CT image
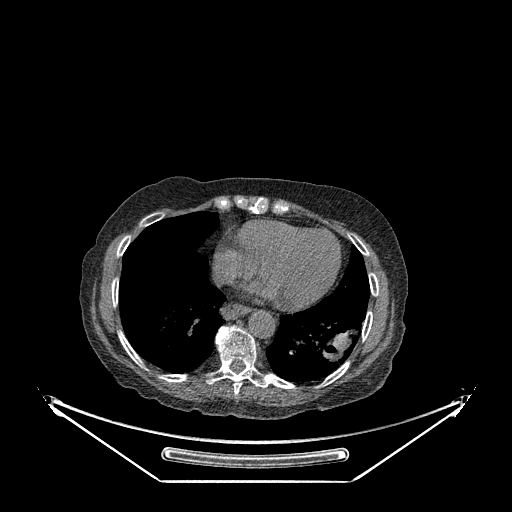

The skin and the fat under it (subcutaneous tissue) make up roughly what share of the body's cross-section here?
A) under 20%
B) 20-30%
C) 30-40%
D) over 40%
Answer: B) 20-30%
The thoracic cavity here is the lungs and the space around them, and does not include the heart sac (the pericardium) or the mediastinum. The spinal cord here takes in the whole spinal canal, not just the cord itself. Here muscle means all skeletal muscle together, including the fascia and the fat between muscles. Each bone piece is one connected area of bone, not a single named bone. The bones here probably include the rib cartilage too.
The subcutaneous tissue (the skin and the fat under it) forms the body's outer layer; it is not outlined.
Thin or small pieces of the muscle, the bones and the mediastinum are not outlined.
Outlined structures:
torso: [[170,176],[187,176],[200,181],[227,177],[306,181],[351,190],[374,204],[395,232],[408,276],[403,316],[405,331],[383,386],[365,398],[337,407],[311,410],[284,419],[259,420],[174,409],[118,384],[86,337],[79,303],[81,264],[104,222],[129,195]]
spinal cord: [[234,360],[239,360],[240,361],[241,361],[244,364],[244,368],[242,370],[241,370],[239,372],[235,372],[233,370],[232,370],[231,369],[231,368],[230,367],[230,365],[231,364],[231,363]]
pericardium: [[254,215],[307,219],[325,226],[335,233],[343,243],[345,249],[345,261],[343,268],[341,270],[341,275],[333,289],[313,305],[291,313],[274,313],[266,309],[242,303],[222,292],[212,279],[212,254],[214,248],[218,240],[230,226],[237,223],[243,218]]
muscle 1: [[138,220],[137,227],[141,230],[139,233],[134,238],[131,233],[125,233],[117,244],[115,256],[117,259],[121,258],[121,267],[120,274],[111,279],[110,297],[112,307],[118,308],[119,311],[122,328],[117,328],[115,333],[120,345],[142,370],[148,373],[151,371],[146,362],[159,369],[162,372],[154,375],[159,380],[169,383],[186,382],[190,373],[207,366],[216,357],[217,365],[203,374],[204,381],[212,385],[223,379],[229,379],[232,382],[233,395],[236,397],[244,380],[263,389],[272,385],[294,390],[297,385],[313,385],[314,389],[321,389],[340,378],[352,363],[349,357],[359,339],[361,343],[364,343],[370,333],[374,314],[368,307],[368,303],[370,296],[375,298],[380,291],[377,275],[372,270],[367,271],[366,269],[364,257],[369,257],[371,254],[359,236],[375,252],[388,279],[389,293],[394,298],[395,324],[391,342],[364,372],[306,403],[290,406],[264,406],[233,400],[197,402],[165,393],[118,362],[107,351],[94,331],[91,318],[93,285],[96,278],[97,285],[99,285],[107,247],[119,233]]
muscle 2: [[267,197],[270,198],[281,198],[296,203],[316,213],[321,214],[326,217],[332,219],[338,220],[344,223],[345,226],[348,229],[353,231],[347,230],[345,232],[345,236],[344,236],[335,229],[326,225],[328,222],[326,219],[320,217],[317,217],[316,218],[318,219],[318,220],[315,219],[313,218],[314,216],[308,212],[306,215],[294,215],[293,214],[287,213],[291,210],[291,207],[286,201],[283,199],[271,200]]
muscle 3: [[226,194],[234,195],[231,197],[225,195],[220,195],[216,197],[213,201],[213,206],[216,208],[210,208],[209,209],[203,209],[202,210],[195,210],[194,211],[191,211],[190,212],[187,212],[186,213],[183,213],[174,216],[170,216],[169,217],[166,217],[166,212],[164,210],[159,209],[165,207],[173,208],[174,209],[179,209],[180,208],[194,206],[213,197],[219,195],[225,195]]
bones 1: [[222,325],[236,325],[249,332],[255,340],[258,358],[265,369],[294,383],[296,388],[282,388],[272,384],[263,388],[244,379],[236,396],[233,392],[233,382],[229,378],[223,378],[208,384],[205,381],[204,374],[218,365],[218,353],[214,340],[217,330]] with a hole at [[234,360],[239,360],[240,361],[241,361],[244,364],[244,368],[242,370],[241,370],[239,372],[235,372],[233,370],[232,370],[231,369],[231,368],[230,367],[230,365],[231,364],[231,363]]
bones 2: [[235,195],[242,195],[246,197],[264,196],[271,201],[283,200],[289,205],[290,210],[288,212],[282,214],[276,214],[270,211],[258,214],[238,207],[232,207],[227,210],[219,209],[214,206],[214,201],[216,198],[220,196],[225,196],[231,198]]
bones 3: [[119,328],[121,328],[122,329],[126,338],[128,340],[131,346],[139,355],[139,356],[145,362],[146,365],[150,369],[150,371],[149,372],[142,369],[136,363],[135,363],[134,361],[127,354],[126,351],[121,345],[118,339],[117,334],[116,333],[117,329]]
bones 4: [[348,358],[349,358],[351,360],[351,363],[347,370],[340,377],[339,377],[333,382],[326,386],[324,386],[321,388],[314,388],[314,385],[320,383],[321,381],[322,381],[325,378],[325,377],[326,377],[336,369],[337,369]]
bones 5: [[157,210],[162,210],[165,212],[165,217],[164,218],[163,218],[160,220],[158,220],[157,221],[156,221],[155,222],[154,222],[153,223],[148,225],[143,229],[141,229],[138,227],[138,223],[140,221],[140,220],[144,216],[145,216],[154,211],[156,211]]
bones 6: [[347,231],[349,231],[350,232],[353,232],[354,233],[355,233],[361,239],[361,240],[365,244],[365,245],[366,246],[366,247],[367,248],[367,249],[370,254],[369,255],[369,256],[363,256],[362,255],[362,254],[358,250],[358,249],[346,237],[346,232]]
bones 7: [[163,372],[164,373],[178,373],[179,374],[181,374],[182,373],[186,373],[188,374],[188,379],[186,381],[182,381],[181,382],[169,382],[168,381],[166,381],[162,379],[159,379],[156,377],[155,375],[157,373],[162,373]]
bones 8: [[368,308],[369,308],[372,311],[372,313],[373,314],[373,317],[372,318],[372,323],[371,324],[371,327],[370,328],[369,333],[366,339],[364,341],[364,342],[361,342],[360,340],[361,330],[362,329],[363,322],[365,319],[366,313],[367,312],[367,309]]
bones 9: [[128,233],[132,235],[133,237],[133,239],[130,242],[130,243],[126,248],[122,257],[120,258],[117,258],[116,256],[116,252],[117,251],[117,247],[118,246],[118,244],[120,240],[122,238],[122,237],[125,234],[127,234]]
bones 10: [[117,275],[118,275],[119,276],[119,286],[118,287],[118,306],[116,308],[114,308],[113,307],[113,304],[112,303],[112,298],[111,297],[111,282],[112,281],[112,279],[115,276],[116,276]]
bones 11: [[369,271],[372,271],[376,275],[376,277],[378,280],[378,286],[379,287],[379,291],[378,292],[378,294],[377,295],[377,296],[376,296],[375,297],[372,296],[370,294],[370,285],[369,284],[369,279],[368,278],[368,274],[367,273],[367,272],[368,272]]
mediastinum 1: [[225,295],[242,304],[266,310],[274,314],[282,313],[290,313],[284,313],[281,314],[279,316],[279,324],[274,334],[273,339],[271,343],[265,348],[264,351],[259,351],[258,350],[257,343],[254,336],[245,328],[236,324],[223,324],[224,321],[219,313],[219,309],[225,300]]
mediastinum 2: [[232,208],[238,208],[246,210],[253,214],[257,214],[243,217],[237,222],[233,223],[223,232],[217,240],[211,254],[211,279],[215,286],[210,281],[208,264],[209,261],[206,251],[202,247],[206,239],[219,226],[218,213],[209,210],[218,209],[227,211]]
mediastinum 3: [[330,228],[341,234],[352,244],[350,247],[350,253],[348,258],[348,263],[343,272],[341,279],[338,282],[336,287],[334,289],[336,284],[338,282],[338,280],[340,279],[340,277],[342,275],[342,270],[344,268],[344,265],[346,261],[346,249],[342,240]]
mediastinum 4: [[268,212],[270,212],[271,213],[272,213],[273,214],[275,214],[276,215],[282,215],[283,214],[289,214],[290,215],[293,215],[294,216],[306,216],[307,217],[312,218],[315,220],[317,220],[319,222],[320,222],[325,225],[323,225],[316,221],[313,221],[312,220],[311,220],[310,219],[308,219],[307,218],[295,218],[294,217],[290,217],[289,216],[280,216],[279,215],[265,215],[264,214],[259,214],[265,214]]
thoracic cavity 1: [[203,210],[215,212],[218,216],[217,228],[205,239],[201,247],[208,261],[209,281],[224,295],[218,309],[223,323],[216,330],[213,340],[217,356],[207,365],[189,373],[164,372],[140,356],[123,330],[118,307],[122,258],[131,242],[148,226],[165,218]]
thoracic cavity 2: [[352,245],[363,257],[370,295],[359,338],[349,356],[337,368],[325,376],[320,382],[315,384],[298,385],[266,369],[259,358],[258,351],[264,352],[272,343],[280,324],[280,316],[284,314],[293,314],[309,308],[324,297],[331,294],[343,277],[349,263]]